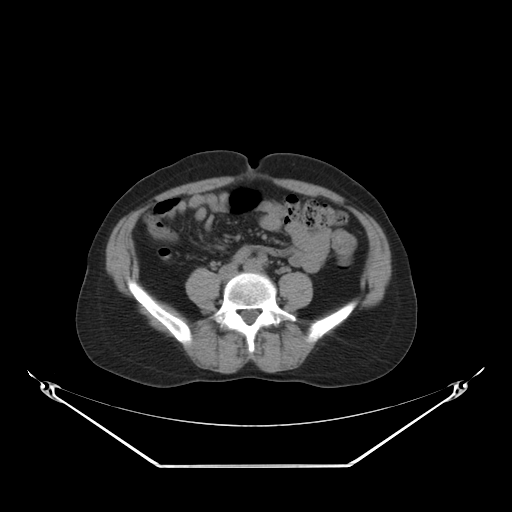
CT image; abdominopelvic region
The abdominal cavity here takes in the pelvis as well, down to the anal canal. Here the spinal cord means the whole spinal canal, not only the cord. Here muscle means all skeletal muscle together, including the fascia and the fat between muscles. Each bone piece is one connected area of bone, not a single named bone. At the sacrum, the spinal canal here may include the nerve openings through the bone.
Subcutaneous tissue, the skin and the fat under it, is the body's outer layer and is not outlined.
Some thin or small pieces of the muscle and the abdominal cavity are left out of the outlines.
The abdominal cavity is outlined by [[254,180],[325,200],[357,218],[368,241],[357,295],[313,317],[300,317],[297,311],[314,295],[305,273],[285,273],[277,289],[266,274],[240,271],[223,286],[222,299],[220,276],[199,266],[184,282],[202,315],[193,318],[144,286],[132,231],[153,205]]. The bones appear in 3 outlined pieces: piece 1: [[240,272],[257,272],[266,275],[276,287],[277,304],[282,309],[296,317],[295,321],[285,319],[276,326],[270,325],[261,327],[255,335],[254,350],[251,353],[248,351],[246,339],[243,334],[233,329],[221,327],[210,317],[222,303],[224,286],[232,277]], around a hole outlined by [[250,309],[258,309],[259,310],[259,313],[258,314],[258,315],[256,317],[256,318],[254,320],[254,321],[252,323],[251,323],[250,324],[248,324],[246,322],[245,322],[245,321],[243,319],[243,318],[241,316],[241,315],[239,312],[241,310],[249,310]]; piece 2: [[128,277],[134,279],[139,283],[152,297],[152,298],[165,310],[176,317],[182,319],[187,324],[190,329],[190,332],[191,333],[191,342],[190,343],[188,343],[186,345],[183,345],[179,342],[162,323],[155,318],[136,300],[128,288],[127,285],[127,278]]; piece 3: [[352,299],[356,299],[357,300],[357,304],[354,309],[351,312],[351,313],[343,321],[342,321],[333,328],[330,329],[317,341],[315,342],[309,342],[307,341],[308,329],[310,325],[313,322],[318,319],[323,318],[331,314],[340,307],[341,307],[344,304]]. The torso is outlined by [[214,149],[240,152],[252,166],[274,152],[308,155],[337,167],[379,201],[407,252],[417,298],[413,341],[389,373],[365,384],[334,388],[257,378],[157,388],[110,373],[87,357],[77,337],[75,309],[87,253],[104,217],[116,200],[144,176],[192,153]]. The spinal cord is outlined by [[250,309],[258,309],[259,310],[259,313],[258,314],[258,315],[256,317],[256,318],[254,320],[254,321],[252,323],[251,323],[250,324],[248,324],[246,322],[245,322],[245,321],[243,319],[243,318],[241,316],[241,315],[239,312],[241,310],[249,310]]. The muscle appears in 2 outlined pieces: piece 1: [[199,267],[220,279],[218,297],[222,300],[209,317],[221,328],[243,335],[250,354],[255,350],[255,338],[261,328],[297,320],[277,302],[278,282],[285,274],[300,272],[312,283],[312,298],[296,311],[298,317],[313,318],[341,306],[309,325],[306,341],[317,342],[294,369],[266,372],[252,361],[233,373],[202,369],[179,343],[186,346],[192,342],[188,324],[145,289],[187,317],[201,318],[201,309],[185,290],[186,280]]; piece 2: [[244,173],[315,184],[337,193],[369,214],[383,230],[391,252],[391,277],[381,301],[359,310],[331,334],[322,337],[343,322],[358,304],[354,298],[361,291],[361,277],[369,250],[367,233],[355,215],[330,201],[278,187],[263,179],[254,179],[162,200],[153,204],[135,222],[131,235],[143,286],[128,276],[127,288],[175,339],[148,324],[136,303],[117,289],[106,271],[105,250],[113,228],[123,216],[168,189],[203,179]].